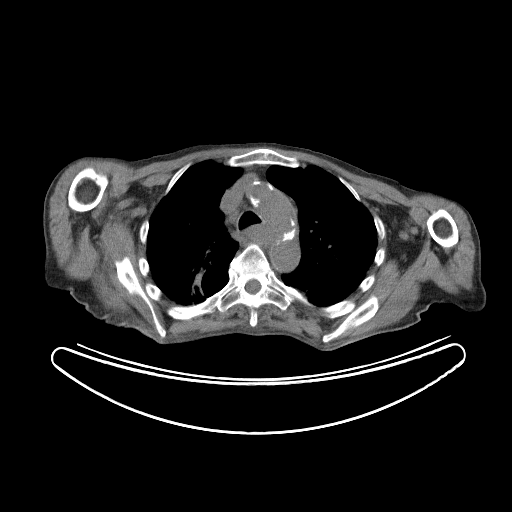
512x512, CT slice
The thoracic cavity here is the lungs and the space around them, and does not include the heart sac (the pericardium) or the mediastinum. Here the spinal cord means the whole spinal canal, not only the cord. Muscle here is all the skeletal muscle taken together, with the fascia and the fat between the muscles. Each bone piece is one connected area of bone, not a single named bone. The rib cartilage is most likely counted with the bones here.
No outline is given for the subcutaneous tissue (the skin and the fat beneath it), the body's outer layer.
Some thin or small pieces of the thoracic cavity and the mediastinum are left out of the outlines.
Outlines:
spinal cord: 250 280; 256 280; 260 284; 260 288; 255 293; 250 293; 248 291; 247 291; 246 290; 246 289; 245 288; 245 286; 246 285; 246 284; 247 283; 247 282; 248 281; 249 281
torso: 244 142; 276 142; 309 148; 414 188; 411 201; 419 272; 434 301; 420 314; 417 323; 330 351; 318 350; 284 335; 239 333; 162 345; 134 329; 96 319; 71 296; 69 291; 100 227; 123 200; 132 167; 125 158; 146 158; 196 144
bones 1: 251 243; 261 248; 277 277; 301 292; 313 306; 293 302; 282 310; 271 303; 262 304; 256 310; 254 327; 249 323; 250 308; 242 303; 222 312; 215 309; 189 319; 174 319; 166 313; 170 306; 197 304; 221 289; 229 279; 230 262, around a hole outlined by 250 280; 256 280; 260 284; 260 288; 255 293; 250 293; 248 291; 247 291; 246 290; 246 289; 245 288; 245 286; 246 285; 246 284; 247 283; 247 282; 248 281; 249 281
bones 2: 371 295; 374 295; 378 298; 379 306; 370 319; 356 327; 347 329; 336 338; 328 342; 322 341; 322 336; 334 330; 345 319; 347 315; 344 314; 334 318; 329 318; 323 316; 320 313; 320 307; 328 306; 344 299; 351 299; 358 306
bones 3: 86 167; 92 167; 97 173; 105 175; 108 179; 108 183; 105 188; 105 190; 100 201; 93 208; 87 211; 79 212; 78 211; 75 211; 73 210; 70 208; 68 205; 68 191; 69 190; 70 185; 72 182; 72 180; 76 174; 79 171
bones 4: 125 256; 129 258; 137 279; 142 286; 144 286; 147 282; 150 282; 156 285; 162 292; 159 300; 151 299; 150 301; 159 322; 166 331; 163 338; 158 334; 156 330; 151 311; 145 301; 138 294; 130 294; 117 278; 115 261; 121 260
bones 5: 256 148; 269 148; 286 156; 290 156; 291 157; 293 156; 296 157; 301 163; 300 166; 297 167; 289 167; 288 166; 283 166; 278 164; 252 164; 246 166; 230 166; 227 165; 225 164; 225 161; 231 156; 245 153
bones 6: 440 208; 443 208; 445 209; 451 215; 457 227; 457 230; 458 231; 458 240; 457 242; 453 246; 451 247; 447 247; 445 248; 444 247; 442 247; 439 244; 438 244; 432 238; 427 228; 427 224; 426 222; 427 221; 428 217; 434 211
bones 7: 189 162; 190 162; 192 164; 178 178; 178 179; 175 182; 175 183; 171 187; 171 188; 169 190; 169 191; 166 194; 164 194; 164 192; 166 189; 166 187; 167 186; 170 179; 172 177; 172 176; 174 174; 174 173; 185 164; 186 164
bones 8: 375 215; 377 215; 381 219; 381 220; 383 223; 383 225; 384 226; 384 229; 385 230; 385 235; 382 239; 379 239; 378 238; 378 235; 377 234; 377 231; 376 230; 376 227; 375 226; 375 224; 374 223; 374 220; 373 219; 373 217
bones 9: 145 219; 148 219; 148 220; 149 221; 149 226; 148 227; 148 231; 147 232; 147 238; 146 239; 146 243; 145 244; 144 244; 143 243; 142 243; 142 242; 140 239; 140 237; 139 236; 139 229; 140 228; 140 226; 141 225; 142 222
bones 10: 371 274; 373 274; 374 275; 374 276; 375 277; 375 279; 374 280; 374 282; 372 284; 372 285; 368 289; 367 289; 365 291; 361 291; 358 288; 358 286; 359 285; 359 284; 362 281; 362 280; 366 276; 367 276; 368 275; 370 275
bones 11: 140 257; 144 257; 145 258; 146 258; 146 259; 147 260; 147 262; 148 263; 148 264; 149 265; 149 272; 147 274; 147 275; 146 276; 144 276; 141 273; 141 272; 140 271; 140 270; 139 269; 139 264; 138 263; 138 259
bones 12: 379 248; 383 248; 385 250; 385 255; 384 256; 384 259; 383 260; 383 261; 378 266; 377 266; 374 263; 374 262; 373 261; 374 260; 374 257; 375 256; 375 254; 376 253; 376 251; 377 250; 377 249; 378 249
bones 13: 339 176; 342 177; 353 187; 353 188; 356 191; 356 192; 360 197; 360 198; 361 199; 361 200; 360 201; 359 201; 353 195; 353 194; 348 189; 348 188; 343 183; 342 183; 342 182; 341 181; 340 181; 340 180; 338 178; 338 177
mediastinum: 252 165; 270 165; 266 172; 268 181; 290 196; 297 205; 300 260; 293 271; 283 273; 280 277; 271 267; 264 251; 257 243; 251 242; 237 253; 239 244; 231 238; 227 231; 224 213; 219 208; 226 188; 240 175; 242 171; 240 167
left arm: 415 189; 429 190; 453 198; 465 206; 469 211; 476 226; 479 235; 481 247; 481 279; 486 291; 486 304; 482 310; 477 312; 468 312; 461 309; 454 304; 435 303; 435 301; 420 272; 418 246; 417 245; 413 202; 412 201; 413 193
thoracic cavity 1: 209 159; 241 169; 234 181; 225 188; 218 205; 224 216; 223 224; 226 231; 230 238; 238 244; 238 248; 228 264; 228 279; 221 288; 200 302; 186 305; 177 304; 154 283; 150 272; 146 245; 149 220; 158 203; 179 178; 192 165
thoracic cavity 2: 271 165; 303 169; 307 165; 314 165; 324 169; 335 176; 367 208; 372 216; 377 235; 373 260; 366 275; 346 298; 328 305; 314 304; 301 291; 287 285; 279 278; 296 269; 300 263; 302 251; 298 205; 290 195; 269 181; 267 172
muscle: 221 147; 272 147; 304 152; 384 182; 408 196; 427 194; 456 204; 467 216; 475 246; 473 289; 453 294; 431 281; 424 282; 417 301; 398 321; 329 346; 282 329; 254 328; 262 305; 271 304; 284 311; 293 303; 320 306; 319 313; 329 319; 346 315; 321 336; 324 343; 360 326; 375 315; 379 298; 371 294; 358 305; 347 298; 357 288; 365 292; 373 285; 376 277; 367 272; 373 262; 378 267; 386 255; 383 247; 377 248; 378 239; 386 235; 382 219; 371 214; 347 180; 296 156; 256 147; 225 160; 189 161; 173 173; 164 195; 138 229; 139 239; 146 246; 146 257; 137 259; 138 269; 144 277; 150 273; 153 282; 140 283; 128 256; 114 261; 118 282; 130 295; 144 301; 162 339; 167 331; 151 300; 159 301; 163 294; 175 303; 165 310; 174 320; 189 320; 215 310; 222 313; 242 304; 249 308; 251 327; 159 339; 135 318; 106 309; 89 281; 73 280; 62 272; 49 242; 50 197; 64 171; 80 160; 114 160; 139 167 with holes at 86 167; 92 167; 97 173; 105 175; 108 179; 108 183; 105 188; 105 190; 100 201; 93 208; 87 211; 79 212; 78 211; 75 211; 73 210; 70 208; 68 205; 68 191; 69 190; 70 185; 72 182; 72 180; 76 174; 79 171 and at 440 208; 443 208; 445 209; 451 215; 457 227; 457 230; 458 231; 458 240; 457 242; 453 246; 451 247; 447 247; 445 248; 444 247; 442 247; 439 244; 438 244; 432 238; 427 228; 427 224; 426 222; 427 221; 428 217; 434 211 and at 388 208; 396 208; 397 209; 403 210; 404 211; 404 214; 400 221; 401 227; 399 228; 395 233; 395 237; 391 242; 391 240; 392 239; 390 237; 390 231; 388 227; 384 222; 384 220; 381 215; 381 213
right arm: 87 154; 123 157; 131 167; 122 200; 114 213; 99 227; 73 286; 68 291; 67 290; 54 289; 49 287; 45 283; 42 273; 44 255; 45 254; 43 229; 42 228; 42 212; 43 211; 44 197; 52 179; 57 172; 64 165; 74 158